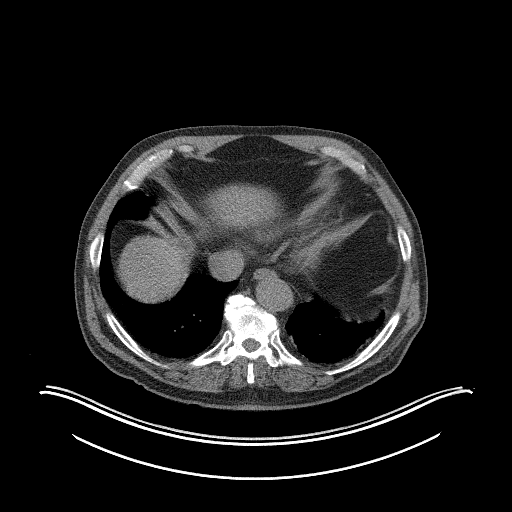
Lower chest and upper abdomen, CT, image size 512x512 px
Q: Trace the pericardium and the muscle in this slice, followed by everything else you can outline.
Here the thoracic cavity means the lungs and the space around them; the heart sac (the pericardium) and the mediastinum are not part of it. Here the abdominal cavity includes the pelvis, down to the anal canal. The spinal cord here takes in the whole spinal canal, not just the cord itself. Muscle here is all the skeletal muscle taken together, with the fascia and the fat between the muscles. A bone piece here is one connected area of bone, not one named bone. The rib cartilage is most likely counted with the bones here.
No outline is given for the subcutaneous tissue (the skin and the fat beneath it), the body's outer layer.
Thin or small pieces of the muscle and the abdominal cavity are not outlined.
A: {"pericardium":[[[303,212],[304,213],[324,212],[330,217],[332,224],[332,234],[323,250],[322,263],[313,274],[306,277],[305,279],[304,277],[303,279],[298,281],[292,277],[287,276],[267,261],[253,258],[243,248],[243,246],[239,241],[242,231],[258,223]]],"muscle":[{"outer":[[250,133],[253,134],[254,133],[258,133],[259,134],[264,133],[265,134],[290,134],[291,135],[319,135],[320,136],[335,138],[349,144],[352,147],[359,151],[385,179],[386,182],[402,205],[412,227],[416,255],[417,256],[417,276],[419,280],[419,307],[420,308],[420,316],[417,323],[411,328],[389,356],[382,361],[366,368],[361,372],[345,378],[327,388],[318,389],[317,390],[311,390],[310,391],[302,391],[301,392],[288,392],[287,391],[283,391],[277,387],[269,387],[268,388],[264,388],[263,387],[261,388],[257,386],[247,385],[239,389],[231,389],[230,390],[225,390],[221,392],[206,392],[205,391],[197,391],[196,390],[190,390],[185,388],[177,387],[154,378],[136,366],[123,360],[116,355],[106,350],[100,345],[92,335],[86,323],[85,307],[84,306],[84,294],[83,293],[83,274],[84,273],[84,253],[85,252],[85,246],[87,242],[87,235],[101,205],[121,173],[142,152],[169,138],[172,138],[176,136],[181,136],[182,135],[184,136],[202,136],[203,135],[249,134]],"hole":[[249,136],[332,160],[321,147],[345,150],[364,164],[364,182],[393,226],[401,225],[408,236],[411,255],[402,265],[391,311],[400,311],[399,320],[374,354],[348,370],[324,371],[351,358],[272,367],[260,356],[249,384],[244,356],[226,365],[213,361],[189,367],[191,358],[149,350],[168,365],[163,368],[130,350],[105,317],[113,310],[89,248],[126,194],[123,181],[161,149],[190,145],[191,153],[174,153],[199,157]]}],"spinal_cord":[[[247,339],[253,339],[254,340],[255,340],[257,342],[258,342],[259,343],[259,346],[257,348],[256,348],[255,349],[254,349],[253,350],[252,350],[251,351],[249,351],[248,350],[247,350],[243,346],[243,342],[245,340],[246,340]]],"torso":[[[219,124],[296,125],[338,131],[361,140],[382,159],[417,218],[428,283],[425,321],[392,372],[330,402],[281,410],[230,410],[182,403],[150,392],[131,379],[114,373],[91,353],[76,314],[74,261],[80,227],[93,198],[122,156],[141,139],[174,128]]],"thoracic_cavity":[[[137,189],[153,196],[155,202],[146,217],[118,221],[109,237],[111,271],[126,295],[143,304],[169,301],[196,271],[220,282],[238,282],[224,301],[226,328],[220,338],[192,358],[172,359],[144,349],[119,321],[102,292],[99,269],[108,218],[117,201]],[[315,299],[317,299],[334,316],[344,322],[356,324],[369,323],[376,320],[382,314],[384,316],[385,323],[371,341],[352,358],[344,359],[335,363],[315,363],[307,359],[300,359],[284,344],[281,338],[280,326],[284,327],[297,304],[300,302],[309,302]]],"mediastinum":[[[238,232],[240,232],[238,241],[253,259],[265,261],[287,277],[295,280],[293,290],[299,302],[293,308],[283,327],[279,325],[277,318],[272,313],[250,296],[241,292],[229,294],[238,285],[237,279],[220,281],[204,271],[192,271],[192,258],[206,243]],[[346,169],[349,169],[369,186],[371,190],[377,196],[379,201],[381,202],[381,205],[379,207],[368,209],[367,211],[363,212],[362,211],[356,212],[354,210],[353,206],[354,203],[350,199],[348,199],[344,194],[345,180],[341,172],[343,172]],[[148,176],[149,176],[149,177],[151,178],[155,182],[155,183],[157,184],[158,186],[159,186],[161,190],[161,194],[159,195],[149,195],[147,194],[142,189],[140,189],[140,186],[142,184],[144,180]]],"bones":[{"outer":[[237,293],[250,297],[276,318],[283,344],[302,361],[301,366],[272,367],[260,356],[253,361],[254,382],[251,384],[246,379],[248,359],[244,356],[237,356],[226,365],[213,361],[187,366],[188,361],[210,349],[221,338],[227,328],[224,320],[226,298]],"hole":[[247,339],[253,339],[254,340],[255,340],[257,342],[258,342],[259,343],[259,346],[257,348],[256,348],[255,349],[254,349],[253,350],[252,350],[251,351],[249,351],[248,350],[247,350],[243,346],[243,342],[245,340],[246,340]]},[[182,144],[192,146],[194,149],[191,153],[179,152],[176,150],[171,157],[154,168],[147,175],[139,186],[139,188],[134,189],[126,193],[123,192],[122,188],[123,181],[142,160],[149,155],[161,149],[164,148],[173,148],[175,149],[178,145]],[[397,309],[400,311],[401,314],[395,328],[386,341],[374,354],[365,361],[348,370],[339,372],[335,374],[330,374],[329,375],[324,373],[324,371],[333,369],[334,368],[337,368],[355,357],[372,341],[376,335],[382,329],[390,316],[394,311]],[[107,311],[110,311],[114,314],[124,329],[150,356],[162,363],[165,363],[167,364],[168,365],[168,368],[163,368],[160,366],[155,365],[141,358],[135,354],[131,350],[130,350],[119,339],[119,338],[115,334],[109,325],[105,317],[105,313]],[[330,145],[334,146],[336,148],[339,148],[340,149],[345,150],[353,158],[362,162],[364,164],[365,168],[366,169],[366,181],[362,180],[357,174],[354,173],[349,168],[343,165],[337,159],[331,156],[324,155],[320,151],[320,148],[323,146],[329,146]],[[98,232],[103,232],[103,243],[102,244],[102,248],[101,249],[101,254],[100,255],[100,262],[99,263],[99,268],[98,270],[94,271],[92,268],[92,266],[91,265],[91,262],[90,261],[90,258],[89,257],[89,248],[90,247],[90,244],[92,240]],[[397,225],[401,225],[402,226],[402,227],[405,230],[409,239],[409,242],[411,247],[411,255],[410,256],[410,259],[409,261],[407,262],[403,262],[402,260],[402,256],[400,251],[400,246],[399,245],[399,242],[398,241],[398,238],[396,233],[396,227]]],"abdominal_cavity":[[[249,136],[339,162],[356,213],[384,206],[403,263],[386,321],[347,322],[317,298],[298,298],[294,284],[320,268],[333,234],[324,211],[206,242],[169,300],[143,303],[120,287],[110,237],[121,220],[146,218],[162,194],[148,175],[175,154],[199,157]]]}